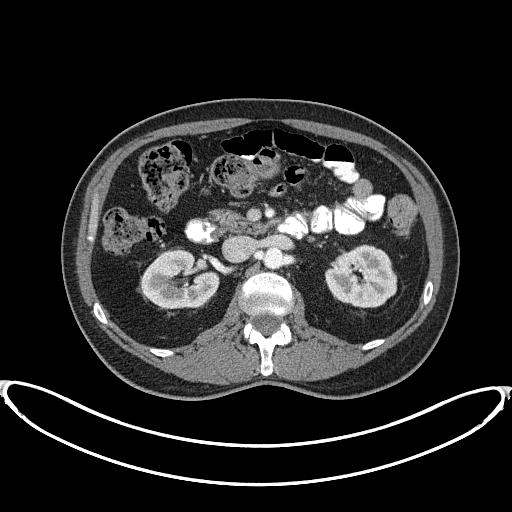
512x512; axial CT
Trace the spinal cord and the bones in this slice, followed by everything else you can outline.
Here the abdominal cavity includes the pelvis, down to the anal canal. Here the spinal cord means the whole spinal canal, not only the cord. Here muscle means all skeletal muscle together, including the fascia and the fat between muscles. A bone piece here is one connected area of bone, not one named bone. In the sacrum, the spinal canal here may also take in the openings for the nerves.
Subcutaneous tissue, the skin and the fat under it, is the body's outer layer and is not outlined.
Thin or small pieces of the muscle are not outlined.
The spinal cord is outlined by 265 336; 268 336; 270 335; 278 328; 279 326; 279 324; 280 323; 280 321; 281 320; 279 317; 277 316; 274 316; 273 315; 269 315; 268 314; 261 314; 257 316; 254 316; 252 318; 251 321; 252 322; 252 324; 254 328; 260 331. The bones appear in 6 outlined pieces: piece 1: 264 376; 273 371; 271 354; 274 346; 285 345; 292 339; 290 328; 284 319; 294 303; 291 285; 284 277; 274 272; 260 272; 248 278; 243 282; 238 298; 240 307; 249 317; 242 331; 243 336; 249 343; 258 345; 261 355; 260 373 with a hole at 265 336; 268 336; 270 335; 278 328; 279 326; 279 324; 280 323; 280 321; 281 320; 279 317; 277 316; 274 316; 273 315; 269 315; 268 314; 261 314; 257 316; 254 316; 252 318; 251 321; 252 322; 252 324; 254 328; 260 331; piece 2: 91 243; 92 243; 95 239; 95 233; 96 232; 97 221; 98 220; 98 213; 97 212; 97 209; 98 208; 98 193; 96 191; 94 193; 92 199; 92 204; 90 210; 90 216; 89 217; 89 222; 88 223; 87 234; 86 235; 87 240; piece 3: 104 324; 109 324; 108 323; 108 320; 106 318; 106 317; 104 314; 104 312; 103 311; 103 309; 102 308; 102 307; 101 306; 99 301; 98 301; 97 300; 96 301; 95 301; 93 304; 93 314; 94 315; 94 316; 100 322; 101 322; piece 4: 424 305; 426 305; 430 301; 430 300; 431 299; 431 297; 432 296; 432 291; 433 290; 433 285; 432 284; 432 282; 430 280; 426 280; 424 283; 424 287; 423 288; 423 291; 422 292; 422 295; 423 296; 423 303; 424 304; piece 5: 161 357; 165 357; 166 356; 170 356; 171 355; 173 355; 174 354; 174 352; 173 351; 172 351; 170 349; 165 349; 164 348; 156 348; 155 347; 149 347; 149 350; 151 352; 152 352; 154 354; 155 354; 158 356; 160 356; piece 6: 363 350; 368 350; 371 348; 373 348; 374 347; 376 347; 377 346; 378 346; 380 344; 383 343; 384 342; 385 339; 384 338; 377 338; 376 339; 374 339; 373 340; 371 340; 370 341; 369 341; 368 342; 367 342; 362 345; 361 348. The abdominal cavity is outlined by 165 348; 189 343; 217 323; 236 286; 260 271; 274 271; 300 291; 312 326; 354 343; 390 334; 415 310; 428 267; 423 224; 402 172; 366 146; 272 121; 164 137; 136 149; 116 170; 102 207; 92 279; 100 302; 126 333; 141 343. The muscle is outlined by 212 384; 236 383; 257 375; 263 376; 259 373; 257 345; 249 344; 242 336; 241 331; 248 317; 237 301; 240 284; 223 318; 189 344; 172 348; 175 354; 170 357; 161 358; 151 353; 149 346; 126 334; 103 307; 109 325; 100 323; 92 314; 92 304; 99 300; 90 271; 93 243; 85 238; 91 199; 96 190; 99 193; 99 215; 113 174; 122 160; 144 143; 160 137; 202 133; 252 121; 272 120; 366 145; 383 154; 403 172; 414 193; 426 232; 429 253; 426 279; 430 279; 434 285; 431 301; 424 306; 421 295; 416 310; 403 325; 387 336; 383 344; 363 351; 361 343; 349 343; 310 326; 304 316; 302 296; 292 286; 295 303; 285 319; 293 339; 285 346; 275 346; 272 354; 274 371; 270 375; 294 381; 326 379; 364 365; 408 337; 433 308; 443 267; 443 235; 433 191; 415 166; 384 144; 361 133; 309 120; 272 117; 218 118; 159 128; 134 138; 106 159; 90 180; 84 196; 75 251; 81 295; 97 325; 124 350; 184 380. The torso is outlined by 181 400; 211 399; 258 385; 349 399; 390 387; 421 365; 451 311; 459 274; 459 237; 441 183; 409 144; 375 121; 338 106; 307 100; 226 98; 154 114; 103 146; 76 184; 64 218; 61 267; 68 302; 84 337; 114 374; 144 392.